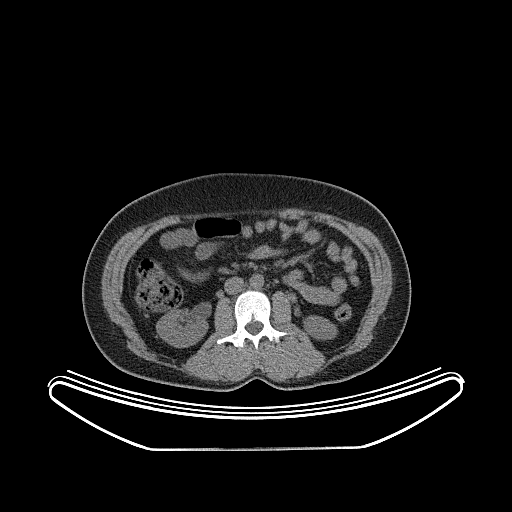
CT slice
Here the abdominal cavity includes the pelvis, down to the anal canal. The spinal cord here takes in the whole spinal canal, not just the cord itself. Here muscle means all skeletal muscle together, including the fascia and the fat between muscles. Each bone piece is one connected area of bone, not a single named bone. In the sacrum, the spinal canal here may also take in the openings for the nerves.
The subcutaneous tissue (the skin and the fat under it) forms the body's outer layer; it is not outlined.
Outlines:
torso: [[227,171],[280,173],[329,182],[364,197],[387,218],[409,268],[411,303],[400,338],[379,364],[345,381],[306,389],[283,390],[254,379],[234,390],[206,391],[130,375],[100,352],[83,313],[82,278],[90,250],[105,224],[126,204],[148,192],[190,177]]
bones: [[247,290],[260,291],[268,297],[271,306],[270,324],[276,330],[289,333],[281,336],[278,342],[270,341],[266,337],[263,337],[256,350],[252,342],[247,339],[241,348],[238,348],[229,341],[217,343],[219,338],[228,336],[236,330],[234,304],[237,297]] with a hole at [[252,321],[257,321],[258,322],[260,322],[262,324],[262,327],[261,328],[261,329],[257,333],[256,333],[255,334],[252,334],[251,333],[250,333],[246,329],[246,328],[245,327],[246,326],[246,325],[247,324],[248,324],[250,322],[251,322]]
spinal cord: [[252,321],[257,321],[258,322],[260,322],[262,324],[262,327],[261,328],[261,329],[257,333],[256,333],[255,334],[252,334],[251,333],[250,333],[246,329],[246,328],[245,327],[246,326],[246,325],[247,324],[248,324],[250,322],[251,322]]
abdominal cavity: [[244,214],[323,223],[357,246],[369,267],[371,295],[349,341],[331,350],[318,349],[292,321],[285,293],[278,290],[270,300],[263,291],[247,289],[233,304],[227,297],[217,302],[213,332],[185,359],[148,346],[122,301],[130,258],[162,228],[204,217]]
muscle: [[283,208],[300,208],[310,211],[319,211],[337,216],[340,218],[345,219],[360,226],[367,228],[381,242],[386,253],[388,255],[391,263],[391,268],[392,269],[392,291],[388,300],[386,308],[379,317],[378,321],[373,329],[373,338],[366,347],[358,352],[345,356],[334,361],[327,367],[324,368],[321,371],[317,372],[312,376],[306,376],[298,379],[292,378],[291,379],[288,379],[287,381],[275,381],[256,370],[252,372],[245,378],[238,381],[235,381],[234,382],[223,382],[222,381],[215,382],[211,380],[205,380],[193,376],[188,376],[182,371],[177,370],[171,367],[161,365],[149,360],[146,360],[133,353],[126,346],[126,343],[125,342],[126,338],[124,336],[121,329],[109,318],[109,316],[103,306],[103,301],[101,295],[101,278],[102,277],[103,268],[107,259],[107,256],[109,254],[114,244],[122,235],[135,227],[146,224],[168,215],[174,215],[175,214],[181,215],[182,214],[195,214],[196,213],[209,213],[210,212],[230,212],[231,211],[251,210],[252,209],[268,210],[269,209],[282,209]], around a hole outlined by [[244,214],[323,223],[357,246],[371,295],[349,341],[318,349],[278,290],[269,321],[289,333],[278,342],[263,337],[256,350],[247,339],[241,348],[217,343],[236,330],[234,305],[222,297],[213,332],[185,359],[148,346],[122,301],[130,258],[162,228]]